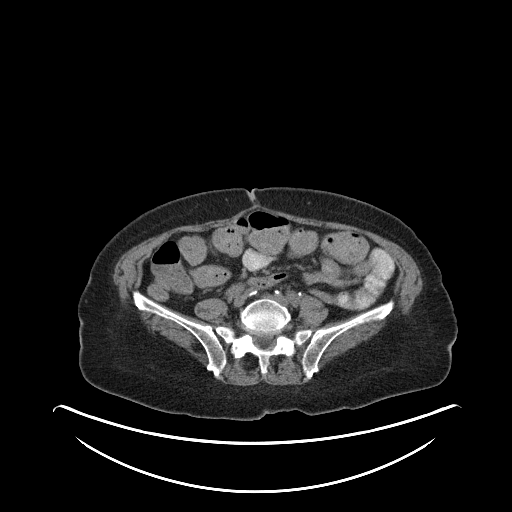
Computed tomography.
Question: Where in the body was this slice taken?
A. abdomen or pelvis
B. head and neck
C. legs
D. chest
Answer: A. abdomen or pelvis
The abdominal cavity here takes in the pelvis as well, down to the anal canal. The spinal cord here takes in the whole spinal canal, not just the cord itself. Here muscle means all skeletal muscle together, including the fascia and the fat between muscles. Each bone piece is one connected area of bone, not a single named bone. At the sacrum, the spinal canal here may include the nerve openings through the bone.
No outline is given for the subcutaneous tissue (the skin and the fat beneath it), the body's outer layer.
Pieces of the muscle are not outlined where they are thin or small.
{"muscle":[[[256,203],[296,216],[353,225],[376,233],[398,244],[413,258],[422,278],[422,289],[415,298],[409,313],[389,321],[378,333],[368,340],[362,341],[344,353],[334,357],[320,369],[319,362],[333,340],[358,325],[383,320],[393,310],[395,302],[391,299],[394,296],[396,281],[399,275],[396,260],[383,246],[359,231],[300,223],[281,214],[255,208],[230,222],[213,226],[205,230],[178,231],[170,235],[155,246],[143,261],[139,288],[131,292],[132,303],[138,310],[172,321],[194,336],[205,352],[207,359],[205,368],[183,348],[165,337],[162,337],[147,329],[137,312],[131,308],[125,307],[121,303],[118,288],[113,282],[114,267],[121,255],[140,242],[171,228],[230,217]],[[219,338],[230,345],[234,358],[240,359],[247,353],[255,356],[262,375],[268,372],[271,356],[291,357],[296,352],[295,346],[308,340],[300,363],[305,378],[310,380],[300,385],[272,385],[263,381],[248,386],[222,383],[216,379],[221,378],[227,355]],[[305,295],[316,298],[327,308],[328,312],[321,324],[322,326],[328,322],[342,320],[354,316],[343,322],[327,327],[321,326],[314,330],[310,328],[300,328],[294,330],[290,334],[288,331],[288,325],[291,323],[294,326],[297,325],[301,298]],[[207,298],[218,298],[226,304],[227,316],[225,316],[223,319],[231,326],[236,326],[237,324],[239,324],[237,329],[223,324],[216,325],[214,328],[209,323],[203,324],[190,320],[174,311],[192,317],[196,317],[197,316],[194,311],[195,305],[199,301]]],"torso":[[[268,186],[315,188],[354,197],[392,213],[416,233],[441,271],[457,317],[458,333],[451,347],[447,377],[436,386],[355,409],[316,415],[281,411],[255,420],[168,413],[87,382],[78,366],[77,303],[105,243],[132,219],[168,200],[218,188],[251,190]]],"spinal_cord":[[[259,334],[270,334],[273,337],[273,339],[274,340],[274,342],[273,343],[273,344],[271,346],[270,346],[269,347],[267,347],[266,348],[262,348],[261,347],[260,347],[259,346],[258,346],[254,342],[254,336],[255,335],[258,335]]],"bones":[{"outer":[[135,290],[214,329],[237,330],[242,309],[270,298],[288,310],[290,335],[394,305],[383,319],[333,339],[310,379],[301,363],[308,339],[291,356],[271,355],[262,374],[255,355],[236,358],[219,337],[226,363],[218,379],[195,336],[138,309]],"hole":[[259,334],[270,334],[273,337],[273,339],[274,340],[274,342],[273,343],[273,344],[271,346],[270,346],[269,347],[267,347],[266,348],[262,348],[261,347],[260,347],[259,346],[258,346],[254,342],[254,336],[255,335],[258,335]]}],"abdominal_cavity":[[[255,209],[364,234],[395,260],[393,296],[322,325],[329,310],[308,294],[300,298],[296,325],[285,305],[266,296],[242,308],[236,325],[225,321],[228,306],[218,297],[199,300],[196,316],[154,301],[139,289],[143,263],[155,247],[178,232],[205,231]]]}